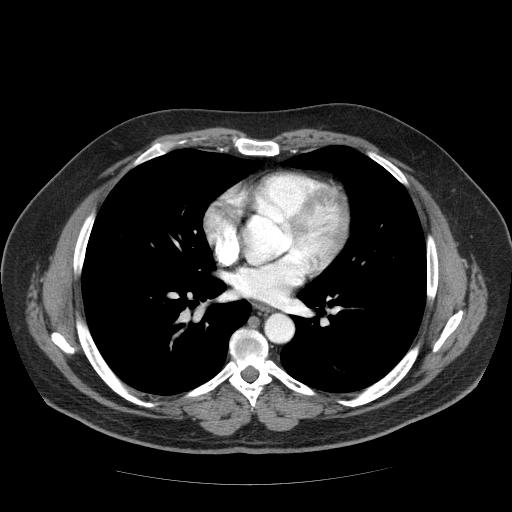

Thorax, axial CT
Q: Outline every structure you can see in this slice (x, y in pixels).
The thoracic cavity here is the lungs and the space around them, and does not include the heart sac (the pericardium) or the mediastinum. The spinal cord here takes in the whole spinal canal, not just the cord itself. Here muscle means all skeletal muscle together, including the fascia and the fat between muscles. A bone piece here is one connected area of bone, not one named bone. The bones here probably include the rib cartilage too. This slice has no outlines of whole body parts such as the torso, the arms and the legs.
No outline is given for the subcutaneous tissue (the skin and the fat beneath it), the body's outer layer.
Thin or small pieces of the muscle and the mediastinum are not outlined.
A: The muscle is outlined by [[211,127],[245,133],[248,136],[233,134],[229,138],[237,152],[220,146],[177,147],[205,141],[206,135],[155,141],[127,166],[97,212],[94,206],[78,231],[72,271],[75,278],[80,277],[85,319],[75,312],[75,330],[88,362],[113,392],[135,405],[151,409],[159,403],[142,398],[146,394],[183,393],[183,399],[197,398],[226,382],[247,399],[252,411],[264,387],[275,380],[306,396],[316,396],[316,390],[351,393],[350,397],[338,398],[336,402],[354,408],[386,394],[411,369],[422,345],[420,341],[412,344],[425,306],[430,306],[436,297],[439,261],[435,239],[431,233],[425,237],[407,189],[410,183],[399,167],[371,149],[363,153],[345,144],[326,144],[281,152],[282,145],[277,140],[253,138],[271,138],[300,128],[361,137],[412,168],[423,180],[449,224],[468,246],[482,271],[488,292],[486,314],[465,350],[422,388],[383,407],[347,417],[308,419],[284,431],[270,430],[254,418],[233,434],[216,435],[186,421],[113,409],[76,388],[29,332],[25,294],[33,269],[105,169],[159,136]], around holes outlined by [[461,309],[463,311],[463,314],[462,315],[462,317],[461,318],[460,322],[458,324],[456,328],[447,337],[447,338],[444,341],[444,342],[439,348],[439,349],[437,351],[433,352],[432,351],[433,345],[439,337],[440,333],[442,331],[448,319],[454,313]] and by [[53,331],[56,331],[57,332],[58,332],[59,333],[60,333],[65,338],[65,339],[68,342],[68,343],[72,347],[73,347],[74,348],[74,352],[72,354],[68,354],[67,353],[65,353],[56,344],[55,344],[52,341],[52,340],[51,339],[51,333]]. The pericardium is outlined by [[281,167],[309,170],[337,181],[345,190],[349,200],[350,221],[348,237],[334,259],[317,276],[301,289],[299,289],[283,305],[274,307],[259,302],[248,295],[236,292],[216,272],[217,265],[203,228],[203,218],[209,205],[228,188],[250,174]]. The mediastinum appears in 3 outlined pieces: piece 1: [[227,284],[236,293],[248,296],[259,303],[274,308],[283,306],[297,292],[289,315],[294,323],[295,331],[291,339],[280,351],[280,363],[275,363],[269,356],[268,341],[260,331],[242,326],[250,316],[251,305],[246,299],[236,298],[228,293]]; piece 2: [[214,147],[220,147],[228,151],[239,153],[245,156],[264,157],[275,157],[281,153],[291,150],[305,149],[308,150],[300,153],[295,153],[284,159],[281,162],[281,165],[285,166],[272,167],[256,171],[262,168],[265,164],[261,159],[241,158],[217,150]]; piece 3: [[310,170],[319,170],[320,171],[326,171],[327,172],[330,172],[332,173],[340,180],[340,181],[343,184],[343,186],[344,188],[342,187],[340,183],[337,180],[335,180],[326,175],[324,175],[320,173],[317,173],[314,171],[311,171]]. The spinal cord is outlined by [[248,366],[251,366],[252,367],[253,367],[256,370],[257,370],[257,371],[258,372],[258,375],[257,376],[257,377],[253,381],[252,381],[251,382],[249,382],[248,381],[245,380],[242,377],[242,375],[241,374],[242,371],[244,369],[245,369]]. The thoracic cavity appears in 2 outlined pieces: piece 1: [[184,147],[212,148],[264,163],[216,197],[202,218],[215,272],[225,282],[228,294],[248,302],[250,312],[245,323],[231,334],[227,359],[216,374],[185,392],[157,395],[128,385],[100,353],[86,321],[81,275],[97,213],[114,186],[129,170]]; piece 2: [[326,145],[345,145],[365,154],[403,185],[425,238],[425,305],[411,346],[384,376],[359,391],[347,393],[315,389],[278,365],[282,361],[283,347],[296,331],[290,315],[298,292],[335,259],[350,234],[350,200],[341,180],[330,171],[282,165],[295,154]]. The bones appear in 10 outlined pieces: piece 1: [[241,327],[255,329],[260,332],[267,341],[268,356],[274,363],[296,380],[314,389],[317,394],[312,396],[295,392],[274,379],[263,387],[252,410],[248,399],[226,381],[215,389],[197,397],[183,398],[184,393],[206,382],[223,368],[229,356],[230,338]]; inner edge: [[248,366],[251,366],[252,367],[253,367],[256,370],[257,370],[257,371],[258,372],[258,375],[257,376],[257,377],[253,381],[252,381],[251,382],[249,382],[248,381],[245,380],[242,377],[242,375],[241,374],[242,371],[244,369],[245,369]]; piece 2: [[76,312],[78,312],[85,320],[91,337],[99,353],[115,375],[128,386],[140,392],[145,393],[143,396],[140,397],[142,399],[153,402],[157,402],[158,404],[156,406],[148,408],[140,406],[123,398],[113,391],[98,375],[89,362],[80,344],[75,323]]; piece 3: [[417,342],[420,342],[421,345],[419,349],[418,355],[415,361],[407,373],[390,390],[372,401],[354,407],[345,406],[337,402],[338,399],[348,399],[350,398],[352,395],[351,394],[352,393],[359,392],[372,385],[384,377],[402,359],[408,350]]; piece 4: [[233,135],[236,135],[239,137],[240,136],[244,136],[245,137],[252,138],[256,140],[267,140],[268,139],[271,139],[272,140],[277,141],[281,145],[281,151],[279,154],[275,156],[245,155],[238,152],[236,148],[233,146],[230,140],[231,136]]; piece 5: [[428,234],[431,234],[434,239],[435,246],[436,247],[436,251],[437,252],[437,260],[438,261],[438,279],[437,280],[437,288],[436,289],[435,297],[433,300],[433,302],[430,305],[426,303],[426,289],[427,288],[427,257],[426,256],[426,236]]; piece 6: [[94,207],[95,207],[96,209],[96,215],[89,234],[87,245],[85,249],[85,256],[83,260],[83,265],[81,270],[81,274],[80,276],[75,277],[74,272],[73,271],[73,255],[74,254],[75,245],[77,241],[77,238],[78,237],[81,226],[85,218]]; piece 7: [[201,136],[206,136],[207,138],[205,140],[197,141],[194,143],[190,141],[183,145],[179,145],[164,154],[147,160],[127,170],[128,166],[137,157],[155,142],[159,142],[164,140],[178,140],[183,138],[186,138],[190,140],[192,137],[200,137]]; piece 8: [[368,150],[374,151],[376,153],[381,155],[390,161],[398,168],[399,168],[404,174],[406,179],[409,183],[409,185],[406,187],[403,184],[398,181],[385,168],[384,168],[380,164],[376,162],[373,159],[369,157],[366,154],[366,151]]; piece 9: [[461,309],[463,311],[463,314],[462,315],[462,317],[461,318],[460,322],[458,324],[456,328],[447,337],[447,338],[444,341],[444,342],[439,348],[439,349],[437,351],[433,352],[432,351],[433,345],[439,337],[440,333],[442,331],[448,319],[454,313]]; piece 10: [[53,331],[56,331],[57,332],[58,332],[59,333],[60,333],[65,338],[65,339],[68,342],[68,343],[72,347],[73,347],[74,348],[74,352],[72,354],[68,354],[67,353],[65,353],[56,344],[55,344],[52,341],[52,340],[51,339],[51,333]].